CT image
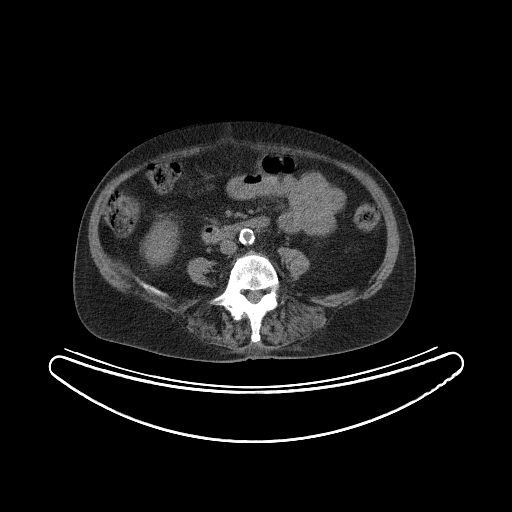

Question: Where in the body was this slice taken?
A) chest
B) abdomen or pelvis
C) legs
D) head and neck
Answer: B) abdomen or pelvis
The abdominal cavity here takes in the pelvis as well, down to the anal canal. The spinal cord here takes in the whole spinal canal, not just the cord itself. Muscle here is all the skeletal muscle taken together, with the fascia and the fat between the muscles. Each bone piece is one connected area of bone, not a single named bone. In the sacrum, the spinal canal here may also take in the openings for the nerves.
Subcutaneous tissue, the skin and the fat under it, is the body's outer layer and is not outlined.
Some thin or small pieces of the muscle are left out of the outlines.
The abdominal cavity is outlined by 224 146; 296 154; 333 164; 351 174; 381 210; 385 226; 384 254; 368 280; 360 287; 339 292; 305 293; 280 281; 266 256; 247 252; 233 261; 227 279; 215 292; 180 301; 112 257; 102 245; 99 227; 110 196; 122 182; 151 162; inner edge: 196 257; 204 257; 209 259; 215 259; 217 262; 217 268; 215 270; 216 271; 214 274; 215 275; 216 280; 218 282; 212 287; 204 287; 203 286; 201 286; 199 284; 197 284; 194 282; 190 278; 186 269; 187 267; 187 264; 189 260. The bones appear in 2 outlined pieces: piece 1: 247 253; 266 257; 274 267; 279 280; 279 288; 277 290; 278 304; 263 317; 259 330; 260 339; 257 342; 251 341; 250 322; 245 314; 243 314; 239 320; 235 320; 223 306; 210 304; 208 302; 223 292; 227 285; 229 271; 234 261, around a hole outlined by 247 291; 261 291; 262 292; 262 295; 261 296; 261 297; 260 298; 260 299; 257 302; 256 302; 255 303; 253 303; 252 302; 251 302; 248 300; 248 299; 247 298; 247 297; 245 294; piece 2: 136 276; 139 277; 142 280; 153 285; 158 289; 165 292; 168 295; 168 296; 167 297; 165 297; 163 298; 160 296; 158 296; 157 295; 155 295; 152 293; 150 293; 148 292; 145 289; 144 289; 138 284; 138 283; 135 279; 135 277. The torso is outlined by 232 118; 278 120; 327 133; 360 152; 388 180; 407 213; 416 255; 416 281; 412 305; 402 325; 391 336; 362 348; 332 355; 216 363; 168 357; 106 341; 84 327; 74 306; 73 262; 83 210; 100 179; 123 154; 154 135; 192 123. The spinal cord is outlined by 247 291; 261 291; 262 292; 262 295; 261 296; 261 297; 260 298; 260 299; 257 302; 256 302; 255 303; 253 303; 252 302; 251 302; 248 300; 248 299; 247 298; 247 297; 245 294. The muscle appears in 3 outlined pieces: piece 1: 236 139; 248 139; 249 140; 259 141; 266 144; 270 143; 277 145; 285 145; 294 148; 301 148; 306 150; 310 150; 317 153; 324 154; 331 158; 337 159; 348 164; 351 164; 355 167; 361 169; 373 178; 385 194; 392 208; 397 225; 397 229; 399 234; 399 249; 396 261; 391 273; 386 282; 382 285; 381 288; 373 295; 366 299; 356 301; 351 304; 337 309; 332 314; 331 318; 327 324; 318 333; 295 345; 290 345; 289 346; 290 347; 286 347; 283 349; 267 350; 260 345; 255 343; 242 352; 233 353; 203 343; 197 338; 194 337; 191 333; 189 333; 173 316; 171 316; 164 311; 159 310; 148 305; 144 301; 140 299; 138 299; 133 296; 130 296; 127 294; 124 294; 112 287; 101 275; 91 256; 90 252; 89 240; 88 239; 88 227; 91 212; 100 192; 110 180; 124 171; 132 167; 135 167; 146 160; 154 158; 162 153; 165 153; 173 150; 179 150; 184 148; 188 148; 192 146; 202 145; 204 143; 214 140; 235 140, around a hole outlined by 224 146; 333 164; 368 191; 385 226; 381 262; 360 287; 313 294; 281 279; 278 304; 263 317; 257 342; 245 314; 235 320; 208 302; 227 280; 215 292; 163 298; 140 286; 138 275; 112 257; 100 238; 101 216; 122 182; 151 162; piece 2: 279 247; 287 247; 288 248; 294 248; 295 249; 297 249; 301 251; 307 257; 307 258; 309 260; 309 268; 298 278; 297 281; 295 283; 293 283; 289 281; 289 276; 287 274; 286 270; 282 265; 280 261; 280 258; 277 255; 276 250; piece 3: 196 257; 204 257; 209 259; 215 259; 217 262; 217 268; 215 270; 216 271; 214 274; 215 275; 216 280; 218 282; 212 287; 204 287; 203 286; 201 286; 199 284; 197 284; 194 282; 190 278; 186 269; 187 267; 187 264; 189 260.